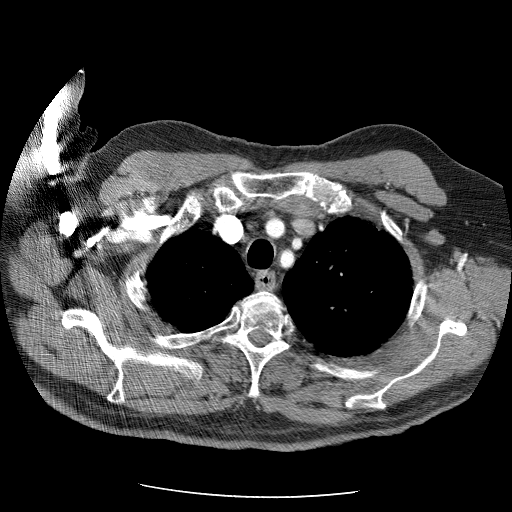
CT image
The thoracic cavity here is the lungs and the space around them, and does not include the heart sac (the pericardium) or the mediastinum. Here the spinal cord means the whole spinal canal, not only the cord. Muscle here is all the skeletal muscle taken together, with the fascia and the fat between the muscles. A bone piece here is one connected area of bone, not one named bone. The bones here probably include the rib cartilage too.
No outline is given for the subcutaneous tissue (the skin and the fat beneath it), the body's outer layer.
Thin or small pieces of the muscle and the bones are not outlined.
{"right_arm":[[[78,72],[83,72],[86,78],[85,87],[77,106],[81,120],[79,129],[83,131],[88,125],[93,126],[96,128],[98,136],[91,147],[93,151],[96,150],[76,215],[72,245],[59,264],[2,285],[0,239],[12,176],[38,121],[58,92]]],"torso":[[[157,119],[187,121],[270,145],[319,144],[366,125],[403,124],[427,135],[461,164],[499,182],[509,221],[511,281],[495,347],[469,397],[401,434],[301,451],[227,450],[116,435],[54,410],[17,349],[2,286],[62,262],[73,245],[97,149],[125,127]]],"bones":[{"outer":[[260,290],[275,294],[283,302],[296,327],[297,339],[290,348],[274,355],[264,364],[258,379],[259,395],[255,398],[248,396],[251,384],[248,360],[235,345],[202,340],[181,348],[166,348],[149,339],[155,333],[192,333],[213,326],[229,314],[236,302]],"hole":[[257,330],[259,330],[262,332],[264,332],[265,333],[268,334],[271,337],[270,340],[267,343],[266,343],[263,346],[262,346],[261,347],[256,346],[254,344],[253,344],[249,339],[249,337],[248,336],[248,335],[250,332],[251,332],[252,331],[256,331]]},[[234,171],[254,173],[308,171],[340,183],[351,198],[353,208],[342,215],[332,214],[324,210],[317,202],[290,195],[282,199],[262,196],[253,199],[245,198],[244,204],[240,207],[219,212],[214,205],[209,190],[216,180],[227,183],[230,180],[230,174]],[[70,307],[93,312],[113,345],[128,345],[144,352],[159,350],[191,359],[202,367],[200,378],[189,379],[180,372],[161,366],[128,361],[122,366],[125,401],[121,404],[108,401],[106,396],[116,382],[118,370],[85,328],[64,328],[58,312]],[[446,318],[464,322],[467,328],[466,333],[462,336],[450,332],[445,333],[440,340],[435,357],[429,363],[419,372],[394,382],[383,393],[382,400],[386,403],[385,408],[345,406],[344,403],[350,396],[371,394],[419,364],[434,348],[439,325]],[[192,190],[200,192],[204,197],[204,199],[201,201],[203,208],[203,212],[201,216],[192,226],[185,231],[178,235],[170,237],[156,251],[157,243],[160,234],[163,229],[165,228],[171,218],[171,216],[173,216],[178,211],[179,208],[182,205],[186,195]],[[315,357],[320,357],[328,362],[333,362],[342,366],[353,367],[357,369],[372,368],[375,367],[378,369],[378,372],[371,377],[367,377],[362,379],[344,379],[343,378],[340,378],[334,376],[327,372],[320,371],[313,367],[311,367],[310,364],[315,359]],[[136,269],[143,273],[141,273],[140,274],[140,277],[143,280],[145,280],[146,281],[146,288],[148,291],[147,304],[149,306],[149,311],[144,311],[138,308],[129,298],[125,291],[124,286],[122,284],[122,282],[124,280],[125,276],[126,275],[130,275]],[[421,276],[424,278],[425,282],[428,285],[427,287],[427,292],[426,293],[427,297],[425,300],[423,308],[421,311],[421,315],[411,326],[409,326],[405,320],[405,318],[406,317],[407,311],[410,305],[410,302],[411,301],[411,298],[413,293],[414,285]],[[380,208],[382,209],[385,209],[387,213],[391,216],[391,217],[401,229],[402,231],[402,237],[404,241],[404,249],[404,248],[387,231],[386,231],[384,229],[382,225],[382,222],[381,221],[381,219],[380,218],[380,214],[379,213],[379,209]]],"muscle":[{"outer":[[141,149],[224,152],[248,158],[265,169],[295,161],[355,158],[386,149],[415,153],[447,196],[447,203],[432,218],[409,231],[423,257],[425,276],[444,266],[453,268],[467,254],[491,256],[511,267],[506,311],[487,357],[466,376],[385,410],[368,412],[351,424],[316,426],[245,408],[189,417],[145,417],[112,404],[126,401],[124,364],[161,367],[197,381],[203,373],[202,365],[159,349],[144,351],[128,344],[115,345],[93,311],[70,306],[57,312],[61,325],[66,330],[83,328],[93,336],[117,370],[115,382],[105,396],[107,401],[83,385],[47,372],[19,342],[13,310],[20,298],[0,260],[4,244],[42,216],[66,256],[86,255],[114,222],[101,212],[98,181]],"holes":[[[234,171],[308,171],[338,182],[351,198],[350,212],[379,229],[379,209],[385,209],[402,231],[413,284],[422,276],[428,285],[421,315],[355,358],[318,353],[298,336],[264,364],[255,398],[248,396],[248,360],[235,345],[202,340],[166,348],[152,342],[155,333],[177,330],[150,305],[149,311],[138,308],[122,282],[136,269],[145,279],[160,234],[190,191],[204,197],[199,223],[217,211],[212,183],[227,183]],[[446,318],[449,318],[452,320],[461,320],[464,322],[467,328],[466,333],[462,336],[450,332],[445,333],[440,340],[440,346],[435,357],[429,363],[419,372],[394,382],[383,393],[382,400],[386,403],[385,408],[378,409],[373,407],[358,407],[357,406],[354,408],[348,408],[345,406],[344,403],[346,399],[350,396],[355,394],[371,394],[385,386],[395,377],[403,375],[409,372],[419,364],[434,348],[438,336],[439,325]],[[315,357],[320,357],[328,362],[333,362],[342,366],[353,367],[357,369],[372,368],[375,367],[378,369],[378,372],[371,377],[367,377],[362,379],[344,379],[343,378],[340,378],[334,376],[327,372],[320,371],[313,367],[311,367],[310,364],[315,359]]]},[[66,84],[67,84],[71,92],[72,148],[75,160],[75,167],[74,172],[70,178],[62,181],[59,180],[58,181],[59,186],[50,188],[41,185],[36,180],[29,168],[29,138],[35,126],[38,123],[38,121],[46,109],[52,103],[58,92]]],"spinal_cord":[[[257,330],[259,330],[262,332],[264,332],[265,333],[268,334],[271,337],[270,340],[267,343],[266,343],[263,346],[262,346],[261,347],[256,346],[254,344],[253,344],[249,339],[249,337],[248,336],[248,335],[250,332],[251,332],[252,331],[256,331]]],"mediastinum":[[[258,197],[275,200],[288,197],[290,199],[302,198],[317,203],[328,214],[337,216],[323,229],[316,232],[294,265],[285,274],[281,285],[282,300],[269,290],[260,289],[254,291],[254,281],[246,270],[239,253],[203,223],[200,223],[208,214],[238,209]]],"thoracic_cavity":[[[350,212],[370,221],[379,229],[383,228],[403,248],[409,260],[413,288],[404,320],[387,341],[371,353],[346,359],[318,353],[311,343],[303,337],[298,336],[297,327],[283,301],[282,285],[286,274],[295,265],[308,243],[317,232],[323,230],[338,216]],[[196,223],[203,224],[214,235],[218,236],[238,253],[245,270],[253,281],[253,291],[236,301],[231,306],[228,314],[221,321],[197,331],[183,332],[177,331],[174,327],[163,321],[149,304],[149,291],[145,279],[145,272],[148,264],[165,242],[185,232]]]}